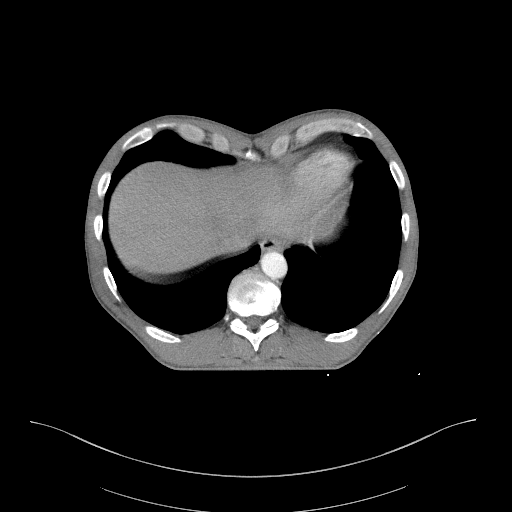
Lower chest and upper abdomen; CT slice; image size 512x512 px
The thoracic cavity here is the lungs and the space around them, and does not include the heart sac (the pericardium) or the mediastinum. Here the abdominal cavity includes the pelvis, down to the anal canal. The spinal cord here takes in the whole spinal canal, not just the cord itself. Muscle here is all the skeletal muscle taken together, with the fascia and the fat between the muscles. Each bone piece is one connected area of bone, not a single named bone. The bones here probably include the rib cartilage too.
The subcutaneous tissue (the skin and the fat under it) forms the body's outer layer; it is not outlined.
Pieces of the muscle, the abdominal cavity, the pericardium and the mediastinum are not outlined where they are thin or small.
abdominal cavity: (294, 147) (297, 154) (282, 175) (294, 204) (323, 227) (340, 220) (350, 205) (351, 225) (337, 243) (314, 253) (279, 235) (262, 237) (243, 253) (171, 285) (141, 282) (118, 265) (108, 238) (108, 207) (130, 170) (158, 160) (208, 167) (233, 163) (232, 155) (277, 159)
thoracic cavity 1: (348, 134) (371, 140) (387, 162) (398, 190) (401, 241) (397, 268) (379, 307) (355, 326) (326, 333) (286, 316) (280, 307) (281, 286) (288, 272) (287, 251) (299, 247) (317, 254) (318, 249) (341, 241) (352, 225) (355, 171) (365, 160) (358, 155) (355, 147) (345, 141)
thoracic cavity 2: (165, 129) (234, 160) (190, 166) (158, 159) (126, 172) (115, 184) (107, 207) (107, 238) (117, 265) (141, 283) (171, 286) (255, 246) (260, 250) (254, 264) (231, 278) (222, 318) (186, 333) (151, 324) (128, 305) (108, 266) (103, 241) (104, 198) (113, 171) (126, 151)
spinal cord: (252, 315) (255, 315) (256, 316) (260, 316) (261, 317) (262, 317) (263, 318) (263, 321) (259, 325) (259, 326) (256, 329) (250, 329) (248, 327) (248, 326) (247, 325) (247, 324) (244, 321) (244, 318) (245, 318) (246, 317) (248, 317) (249, 316) (251, 316)
muscle: (326, 112) (347, 113) (359, 117) (369, 123) (381, 134) (389, 144) (390, 147) (398, 159) (405, 175) (407, 185) (408, 186) (408, 191) (410, 195) (411, 204) (413, 209) (413, 213) (414, 214) (415, 227) (416, 228) (416, 236) (415, 237) (415, 254) (414, 255) (413, 269) (410, 278) (398, 301) (382, 323) (363, 342) (354, 353) (349, 357) (337, 363) (331, 364) (330, 365) (281, 365) (275, 362) (245, 361) (244, 362) (227, 362) (226, 363) (220, 363) (216, 366) (215, 365) (180, 366) (162, 359) (154, 352) (149, 345) (130, 326) (120, 318) (104, 302) (96, 289) (92, 277) (90, 258) (89, 257) (89, 250) (88, 249) (88, 244) (87, 243) (89, 210) (90, 209) (91, 198) (93, 193) (93, 188) (97, 176) (107, 157) (116, 145) (129, 133) (138, 127) (140, 127) (147, 123) (160, 119) (164, 119) (165, 118) (186, 118) (187, 119) (196, 119) (197, 120) (205, 121) (209, 123) (218, 125) (221, 127) (223, 127) (233, 132) (235, 132) (249, 138) (255, 138) (259, 136) (262, 136) (273, 130) (278, 126) (280, 126) (297, 118) (303, 117) (307, 115) (311, 115) (317, 113) (325, 113); inner edge: (324, 118) (363, 124) (386, 161) (394, 160) (404, 178) (398, 198) (401, 211) (409, 216) (409, 232) (406, 241) (401, 237) (397, 264) (403, 276) (383, 311) (378, 313) (378, 307) (361, 321) (354, 337) (332, 342) (324, 340) (325, 332) (289, 319) (280, 307) (273, 315) (278, 328) (260, 342) (257, 351) (222, 318) (202, 329) (175, 333) (180, 342) (149, 335) (144, 329) (149, 323) (122, 297) (118, 301) (107, 285) (102, 270) (108, 264) (106, 249) (93, 227) (104, 206) (97, 194) (98, 181) (119, 163) (123, 143) (146, 126) (188, 123) (205, 132) (205, 146) (211, 146) (210, 136) (216, 132) (227, 139) (231, 155) (243, 158) (251, 149) (258, 157) (269, 156) (278, 136) (289, 134) (288, 147) (293, 148) (300, 126)
pericardium: (332, 141) (342, 144) (351, 151) (357, 158) (358, 164) (351, 177) (351, 196) (352, 198) (345, 214) (336, 222) (328, 226) (323, 226) (318, 224) (311, 216) (305, 213) (295, 204) (286, 189) (283, 181) (283, 175) (287, 164) (297, 156) (298, 152) (320, 142) (331, 142)
bones 1: (245, 269) (255, 270) (263, 274) (280, 288) (281, 293) (278, 311) (273, 315) (279, 323) (278, 328) (274, 332) (267, 335) (260, 342) (257, 351) (254, 350) (252, 344) (247, 338) (233, 332) (230, 329) (229, 322) (223, 319) (227, 309) (227, 291) (229, 284) (235, 275); inner edge: (252, 315) (255, 315) (256, 316) (260, 316) (261, 317) (262, 317) (263, 318) (263, 321) (259, 325) (259, 326) (256, 329) (250, 329) (248, 327) (248, 326) (247, 325) (247, 324) (244, 321) (244, 318) (245, 318) (246, 317) (248, 317) (249, 316) (251, 316)
bones 2: (324, 118) (347, 118) (355, 121) (358, 121) (367, 127) (372, 132) (373, 138) (370, 139) (362, 136) (355, 136) (343, 131) (334, 131) (332, 130) (331, 131) (322, 132) (304, 145) (298, 146) (294, 139) (294, 133) (295, 131) (300, 126) (308, 122)
bones 3: (161, 122) (188, 123) (199, 127) (206, 134) (206, 137) (202, 142) (202, 144) (197, 144) (188, 141) (182, 137) (174, 129) (165, 128) (156, 132) (150, 139) (125, 151) (122, 150) (121, 147) (123, 143) (134, 133) (143, 127) (146, 126) (154, 126) (157, 123) (160, 123)
bones 4: (147, 324) (153, 325) (160, 329) (162, 329) (165, 331) (170, 332) (178, 336) (181, 339) (181, 341) (180, 342) (173, 342) (172, 343) (170, 343) (169, 342) (164, 342) (158, 339) (156, 339) (152, 337) (150, 335) (149, 335) (145, 331) (144, 329) (144, 326)
bones 5: (398, 268) (401, 268) (403, 271) (403, 276) (401, 280) (401, 283) (396, 293) (394, 295) (390, 302) (387, 305) (387, 306) (381, 313) (378, 313) (378, 310) (380, 306) (383, 303) (383, 302) (388, 295) (388, 292) (391, 285) (392, 279) (395, 274) (396, 270)
bones 6: (285, 133) (287, 134) (289, 134) (291, 136) (291, 138) (290, 139) (290, 141) (289, 142) (288, 147) (286, 151) (282, 155) (281, 155) (277, 158) (274, 158) (272, 157) (269, 153) (269, 151) (270, 150) (270, 147) (275, 140) (275, 139) (278, 136) (282, 134) (284, 134)
bones 7: (356, 326) (357, 326) (358, 328) (358, 332) (357, 334) (354, 337) (346, 341) (343, 341) (342, 342) (332, 342) (331, 341) (326, 341) (324, 340) (324, 337) (325, 335) (328, 333) (334, 333) (335, 332) (341, 332) (342, 331) (347, 330) (352, 327) (355, 327)
bones 8: (214, 132) (216, 132) (217, 133) (219, 133) (221, 134) (227, 139) (228, 141) (228, 143) (229, 144) (229, 146) (231, 148) (230, 149) (230, 152) (229, 153) (224, 153) (218, 150) (216, 150) (214, 148) (211, 147) (211, 144) (210, 143) (210, 136) (211, 134) (212, 134)
bones 9: (391, 159) (394, 160) (397, 163) (397, 164) (399, 166) (402, 172) (402, 174) (404, 178) (404, 183) (405, 184) (404, 185) (404, 188) (403, 189) (398, 189) (397, 187) (397, 185) (390, 171) (390, 169) (389, 168) (389, 165) (388, 164) (388, 161)
bones 10: (105, 265) (107, 265) (115, 281) (118, 293) (121, 298) (121, 300) (120, 301) (118, 301) (116, 299) (116, 298) (114, 296) (114, 295) (112, 293) (112, 292) (110, 290) (109, 287) (106, 283) (106, 281) (103, 275) (103, 271) (102, 270) (103, 267)
bones 11: (105, 171) (110, 171) (111, 172) (111, 177) (110, 178) (110, 180) (109, 181) (109, 183) (108, 184) (108, 186) (107, 187) (106, 192) (104, 195) (104, 197) (103, 198) (100, 198) (98, 196) (98, 195) (97, 194) (97, 184) (98, 183) (98, 181) (99, 180) (101, 175)
bones 12: (99, 213) (101, 213) (102, 214) (102, 222) (103, 223) (103, 228) (102, 229) (102, 239) (101, 240) (101, 241) (99, 241) (98, 240) (97, 240) (97, 239) (95, 236) (95, 233) (94, 232) (94, 228) (93, 227) (93, 222) (94, 221) (94, 218) (95, 217) (95, 216)
bones 13: (404, 211) (405, 212) (407, 212) (407, 213) (408, 214) (408, 215) (409, 216) (409, 232) (408, 233) (408, 237) (407, 238) (407, 240) (406, 241) (404, 241) (403, 240) (403, 237) (402, 236) (402, 230) (401, 229) (401, 215) (402, 214) (402, 212) (403, 212)
bones 14: (249, 149) (251, 149) (252, 150) (253, 150) (257, 154) (257, 156) (258, 157) (255, 160) (255, 161) (252, 161) (251, 160) (250, 160) (249, 159) (246, 159) (245, 158) (244, 158) (244, 157) (245, 156) (245, 153) (244, 152) (245, 152) (247, 150) (248, 150)
torso: (327, 107) (352, 110) (375, 123) (389, 138) (407, 170) (419, 222) (419, 249) (416, 274) (403, 302) (363, 351) (337, 370) (177, 371) (159, 363) (101, 307) (89, 284) (84, 218) (91, 180) (103, 156) (129, 128) (161, 114) (192, 114) (246, 132) (257, 132) (290, 116)
mediastinum 1: (270, 236) (279, 236) (280, 238) (285, 238) (299, 246) (289, 249) (284, 253) (287, 262) (287, 272) (280, 287) (272, 280) (266, 277) (263, 273) (255, 269) (247, 268) (254, 265) (259, 260) (261, 250) (258, 245) (255, 245) (247, 251) (246, 250) (262, 238)
mediastinum 2: (332, 131) (343, 132) (347, 134) (344, 137) (344, 141) (347, 144) (355, 148) (357, 155) (361, 159) (364, 160) (361, 166) (358, 165) (359, 160) (352, 151) (338, 141) (333, 140) (331, 141) (320, 141) (297, 151) (295, 148) (296, 146) (298, 147) (304, 146) (320, 134)